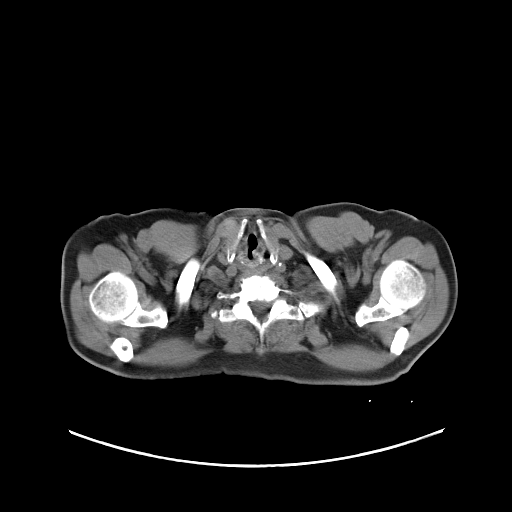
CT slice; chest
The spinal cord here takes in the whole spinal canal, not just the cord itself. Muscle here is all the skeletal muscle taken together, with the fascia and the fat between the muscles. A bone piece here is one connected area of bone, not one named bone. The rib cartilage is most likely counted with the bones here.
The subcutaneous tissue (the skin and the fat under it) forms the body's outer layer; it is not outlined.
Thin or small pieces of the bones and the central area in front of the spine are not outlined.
{"torso":[[[338,201],[381,210],[370,243],[372,286],[393,308],[437,338],[409,370],[395,380],[365,386],[309,385],[223,373],[174,379],[134,379],[99,368],[75,352],[98,344],[121,328],[144,291],[131,213],[158,207],[219,213],[250,206],[291,214],[309,206]]],"right_arm":[[[116,212],[124,214],[130,214],[131,223],[133,227],[135,241],[138,251],[143,291],[135,308],[121,327],[98,343],[87,348],[78,351],[74,351],[70,347],[66,339],[60,308],[60,281],[61,280],[61,261],[63,248],[69,235],[77,227],[98,216]]],"bones":[{"outer":[[253,274],[268,275],[279,287],[291,290],[292,295],[280,294],[289,303],[314,301],[322,304],[323,309],[301,321],[279,319],[272,322],[263,341],[255,327],[245,319],[221,322],[210,313],[229,308],[231,304],[217,298],[217,293],[238,291],[241,278]],"hole":[[254,301],[264,301],[265,302],[267,302],[270,304],[270,306],[269,307],[269,309],[268,310],[268,312],[266,314],[266,315],[265,316],[265,318],[264,319],[260,319],[253,312],[253,311],[252,310],[252,308],[250,305],[250,303],[251,302],[253,302]]},[[111,271],[120,271],[129,276],[133,280],[137,288],[138,300],[144,309],[150,310],[159,304],[167,311],[168,321],[167,325],[164,328],[160,328],[156,326],[132,327],[117,322],[107,323],[99,319],[91,311],[88,302],[89,293],[95,283],[100,278]],[[395,259],[405,260],[414,265],[421,272],[426,283],[426,291],[424,297],[417,305],[408,309],[402,315],[394,316],[381,321],[368,322],[359,327],[355,321],[356,310],[362,303],[372,306],[378,301],[380,296],[379,279],[381,273],[384,268],[391,261]],[[192,257],[195,257],[199,260],[200,266],[197,271],[197,273],[194,279],[194,284],[193,285],[193,288],[191,291],[191,294],[190,295],[189,300],[186,304],[184,304],[180,308],[179,308],[178,303],[176,299],[175,287],[182,269],[184,267],[186,262]],[[304,252],[311,253],[322,259],[330,268],[334,274],[336,278],[336,281],[337,282],[335,287],[335,291],[336,292],[336,296],[338,299],[338,301],[335,300],[333,296],[329,292],[328,292],[324,287],[320,281],[319,278],[307,261],[304,255]],[[117,337],[125,337],[126,338],[127,338],[130,341],[130,342],[132,345],[132,347],[133,348],[133,358],[129,362],[124,362],[123,361],[121,361],[116,356],[116,355],[114,353],[114,352],[109,347],[109,345],[112,342],[112,341],[115,338],[116,338]],[[400,326],[403,326],[407,328],[409,332],[409,336],[405,343],[405,345],[404,346],[404,349],[403,351],[398,356],[395,356],[392,353],[390,352],[390,350],[389,348],[390,347],[390,344],[393,338],[394,333],[395,331]],[[243,219],[246,219],[247,220],[247,223],[245,225],[245,227],[243,230],[243,233],[234,250],[235,252],[234,258],[232,262],[229,263],[227,261],[226,250],[227,249],[227,247],[231,245],[236,238],[236,236],[241,226],[241,222]],[[257,219],[260,219],[261,220],[263,227],[264,228],[264,230],[265,231],[265,233],[270,243],[270,245],[272,247],[277,249],[277,263],[273,264],[270,260],[270,258],[269,257],[270,256],[270,251],[268,246],[261,236],[260,230],[256,223],[256,220]]],"left_arm":[[[385,209],[400,210],[409,213],[418,218],[421,218],[428,221],[439,229],[445,237],[449,245],[457,273],[458,298],[453,317],[443,333],[438,338],[427,332],[398,309],[393,307],[373,286],[372,272],[371,271],[371,243],[373,239],[379,215],[381,211]]],"muscle":[{"outer":[[346,210],[380,229],[409,231],[432,242],[448,280],[449,300],[439,325],[404,351],[410,332],[400,325],[388,348],[396,357],[378,370],[339,370],[299,352],[261,356],[209,353],[183,366],[146,366],[131,362],[134,348],[125,336],[115,337],[108,345],[120,361],[85,346],[76,337],[69,296],[78,274],[76,256],[82,247],[148,227],[160,219],[197,224],[210,232],[229,216],[259,212],[299,229],[308,216],[336,216]],"holes":[[[243,219],[260,219],[273,246],[293,253],[284,271],[260,274],[291,290],[292,295],[280,294],[289,303],[323,305],[301,321],[272,322],[263,341],[245,319],[221,322],[210,315],[231,306],[217,293],[238,291],[241,278],[250,275],[230,274],[217,261]],[[111,271],[120,271],[129,276],[133,280],[137,288],[138,300],[144,309],[150,310],[159,304],[167,311],[168,321],[167,325],[164,328],[160,328],[156,326],[132,327],[117,322],[107,323],[99,319],[91,311],[88,302],[89,293],[95,283],[100,278]],[[395,259],[405,260],[414,265],[421,272],[426,283],[426,291],[424,297],[417,305],[408,309],[402,315],[394,316],[381,321],[368,322],[359,327],[355,321],[356,310],[362,303],[372,306],[378,301],[380,296],[379,279],[381,273],[384,268],[391,261]],[[192,257],[195,257],[199,260],[200,266],[197,271],[197,273],[194,279],[194,284],[193,285],[193,288],[191,291],[191,294],[190,295],[189,300],[186,304],[184,304],[180,308],[179,308],[178,303],[176,299],[175,287],[182,269],[184,267],[186,262]],[[304,252],[311,253],[322,259],[330,268],[334,274],[336,278],[336,281],[337,282],[335,287],[335,291],[336,292],[336,296],[338,299],[338,301],[335,300],[333,296],[329,292],[328,292],[324,287],[320,281],[319,278],[307,261],[304,255]]]}],"central_area_in_front_of_the_spine":[[[247,224],[256,224],[260,236],[268,248],[268,257],[273,265],[278,263],[277,248],[287,246],[292,251],[293,260],[284,271],[270,270],[260,274],[230,274],[218,263],[217,255],[220,252],[226,255],[226,261],[229,264],[233,262],[236,255],[235,250]]],"spinal_cord":[[[254,301],[264,301],[265,302],[267,302],[270,304],[270,306],[269,307],[269,309],[268,310],[268,312],[266,314],[266,315],[265,316],[265,318],[264,319],[260,319],[253,312],[253,311],[252,310],[252,308],[250,305],[250,303],[251,302],[253,302]]]}